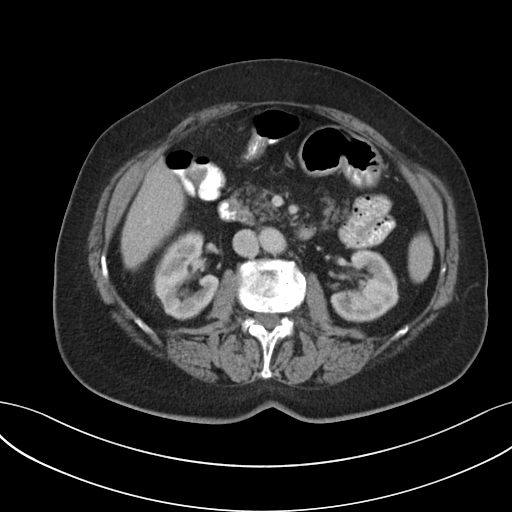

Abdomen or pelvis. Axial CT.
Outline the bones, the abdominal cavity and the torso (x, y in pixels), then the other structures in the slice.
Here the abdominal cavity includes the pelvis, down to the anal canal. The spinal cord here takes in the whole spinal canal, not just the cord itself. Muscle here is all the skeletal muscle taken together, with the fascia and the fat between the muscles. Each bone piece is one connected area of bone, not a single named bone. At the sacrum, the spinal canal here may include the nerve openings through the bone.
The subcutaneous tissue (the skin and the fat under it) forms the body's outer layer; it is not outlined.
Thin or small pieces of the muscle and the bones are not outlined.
{"bones":[{"outer":[[262,259],[294,261],[306,279],[303,301],[289,314],[294,322],[293,333],[279,339],[274,345],[269,363],[271,376],[268,378],[264,378],[260,374],[263,368],[263,353],[260,342],[241,328],[242,322],[250,312],[241,305],[237,295],[239,266],[249,260]],"hole":[[255,313],[277,313],[278,314],[279,314],[280,315],[280,318],[279,319],[279,324],[277,324],[273,328],[272,328],[271,329],[267,329],[262,324],[261,324],[260,323],[258,323],[256,321],[256,319],[255,318],[255,317],[254,316],[254,314]]},[[135,316],[137,316],[138,317],[139,317],[150,328],[151,328],[155,333],[155,334],[156,335],[156,337],[153,337],[152,336],[151,336],[149,334],[148,334],[147,333],[146,333],[144,331],[143,331],[138,326],[138,325],[134,321],[134,317]],[[405,325],[407,325],[408,326],[408,330],[406,332],[406,333],[405,333],[402,336],[401,336],[399,338],[398,338],[397,339],[396,339],[395,340],[393,340],[392,341],[390,341],[390,338],[399,329],[400,329],[401,328],[402,328]]],"abdominal_cavity":[[[262,105],[311,109],[367,136],[395,161],[412,190],[438,249],[439,273],[427,305],[394,333],[372,336],[333,324],[317,275],[304,274],[291,259],[249,259],[236,270],[227,268],[210,320],[198,327],[155,330],[112,284],[110,242],[150,166],[199,126]]],"torso":[[[258,58],[304,60],[355,75],[433,128],[458,154],[483,230],[488,325],[475,360],[453,383],[342,421],[311,423],[270,407],[241,421],[208,424],[106,399],[84,387],[64,365],[53,328],[54,256],[74,183],[93,143],[113,122],[177,82],[211,67]]],"muscle":[{"outer":[[264,100],[286,100],[318,104],[332,107],[355,116],[378,131],[412,162],[418,163],[437,175],[443,181],[453,198],[459,239],[459,259],[454,295],[448,306],[408,346],[396,355],[374,362],[352,377],[325,387],[300,388],[270,378],[258,379],[244,385],[218,385],[191,376],[169,359],[152,355],[132,341],[112,319],[110,311],[100,297],[88,265],[87,238],[97,204],[111,177],[126,161],[163,138],[192,112],[223,102]],"hole":[[262,105],[311,109],[373,140],[395,161],[416,197],[438,249],[439,269],[445,267],[427,305],[407,324],[406,333],[392,341],[393,333],[372,336],[359,327],[333,324],[317,275],[305,272],[303,301],[289,314],[293,333],[274,345],[268,378],[260,374],[260,342],[241,328],[250,312],[238,299],[237,269],[223,272],[207,323],[154,329],[153,337],[134,321],[136,314],[110,275],[102,276],[100,262],[156,159],[199,126]]}],"spinal_cord":[[[255,313],[277,313],[278,314],[279,314],[280,315],[280,318],[279,319],[279,324],[277,324],[273,328],[272,328],[271,329],[267,329],[262,324],[261,324],[260,323],[258,323],[256,321],[256,319],[255,318],[255,317],[254,316],[254,314]]]}